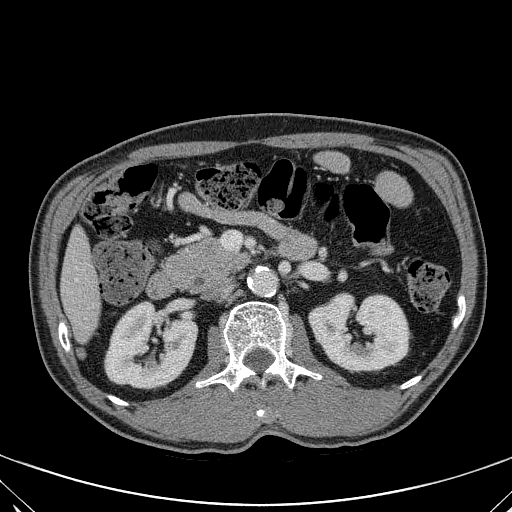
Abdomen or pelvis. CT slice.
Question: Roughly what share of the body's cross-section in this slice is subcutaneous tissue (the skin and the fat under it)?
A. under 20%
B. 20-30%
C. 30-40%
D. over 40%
Answer: A. under 20%
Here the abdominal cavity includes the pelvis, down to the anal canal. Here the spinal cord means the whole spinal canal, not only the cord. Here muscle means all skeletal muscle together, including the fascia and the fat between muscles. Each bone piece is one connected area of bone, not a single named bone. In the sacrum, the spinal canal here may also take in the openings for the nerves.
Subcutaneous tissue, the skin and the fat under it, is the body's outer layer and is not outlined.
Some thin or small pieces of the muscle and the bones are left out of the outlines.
{"muscle":[{"outer":[[316,131],[339,131],[340,132],[361,133],[367,135],[375,135],[379,137],[391,138],[394,140],[401,140],[413,144],[418,144],[424,148],[433,149],[443,154],[447,157],[453,165],[453,167],[460,179],[464,197],[471,219],[471,225],[474,234],[474,241],[478,255],[478,276],[477,277],[475,304],[465,329],[463,341],[455,355],[442,373],[427,387],[399,417],[387,426],[366,434],[353,436],[334,435],[333,436],[314,437],[293,433],[280,426],[262,425],[249,437],[242,441],[237,442],[224,443],[223,442],[196,441],[195,440],[175,442],[143,433],[124,423],[116,417],[105,413],[88,402],[77,391],[74,383],[60,362],[56,349],[52,342],[50,331],[46,322],[46,317],[43,313],[39,298],[38,261],[39,260],[41,229],[45,215],[48,210],[49,204],[58,190],[66,182],[75,176],[87,172],[97,166],[113,161],[120,155],[124,154],[128,151],[131,151],[144,146],[161,143],[179,142],[180,141],[199,141],[200,140],[243,141],[252,138],[260,139],[268,136],[301,133],[302,132],[315,132]],"holes":[[[248,144],[375,152],[409,164],[433,190],[458,240],[457,294],[464,295],[466,308],[417,383],[405,389],[398,383],[350,383],[316,358],[297,313],[284,318],[284,354],[322,378],[298,375],[290,391],[279,379],[264,387],[246,379],[235,392],[222,383],[195,387],[227,364],[221,324],[208,328],[207,362],[198,373],[169,395],[128,406],[113,403],[83,375],[72,348],[65,352],[58,338],[58,253],[88,194],[134,163]],[[258,409],[265,409],[265,410],[266,411],[266,412],[265,413],[265,415],[264,416],[263,416],[262,417],[260,417],[259,416],[258,416],[256,414],[256,411]]]}],"spinal_cord":[[[255,348],[261,348],[262,349],[266,349],[274,357],[274,359],[273,360],[273,361],[261,373],[258,373],[253,369],[252,369],[248,366],[245,365],[243,362],[243,359],[244,358],[244,357],[247,354],[247,353],[248,353],[250,351],[251,351]]],"bones":[{"outer":[[247,301],[267,302],[278,308],[284,320],[286,358],[319,372],[321,379],[298,375],[290,391],[279,379],[271,379],[264,387],[246,379],[235,392],[222,383],[200,388],[194,386],[197,380],[207,378],[226,366],[228,352],[222,335],[223,324],[235,305]],"hole":[[255,348],[261,348],[262,349],[266,349],[274,357],[274,359],[273,360],[273,361],[261,373],[258,373],[253,369],[252,369],[248,366],[245,365],[243,362],[243,359],[244,358],[244,357],[247,354],[247,353],[248,353],[250,351],[251,351]]},[[459,294],[463,294],[464,295],[465,297],[465,302],[466,303],[466,308],[465,309],[465,314],[462,321],[458,327],[455,330],[453,330],[452,329],[452,318],[453,316],[458,312],[458,308],[457,307],[457,303],[456,302],[456,300],[457,299],[457,296]],[[61,320],[63,320],[65,322],[65,323],[67,326],[67,333],[68,334],[68,338],[69,339],[69,341],[70,342],[70,345],[71,346],[71,349],[69,352],[65,352],[65,351],[63,349],[63,348],[59,341],[59,339],[58,338],[58,324]],[[418,374],[420,374],[422,376],[422,377],[421,378],[421,379],[417,383],[416,383],[414,385],[412,385],[405,389],[400,389],[398,387],[399,386],[399,385],[400,384],[401,384],[403,382],[408,380],[410,378],[411,378]]],"abdominal_cavity":[[[248,144],[347,146],[418,172],[459,244],[459,288],[444,343],[401,383],[361,387],[316,358],[297,313],[284,319],[273,303],[247,300],[222,325],[208,328],[206,364],[169,395],[128,401],[100,389],[80,370],[56,293],[60,241],[77,209],[128,165]]],"torso":[[[262,112],[388,124],[427,135],[453,152],[471,187],[487,256],[487,297],[479,336],[415,420],[390,436],[358,446],[306,447],[264,435],[238,453],[187,454],[125,438],[66,395],[40,355],[28,283],[29,246],[39,206],[62,172],[129,137],[193,119]]]}